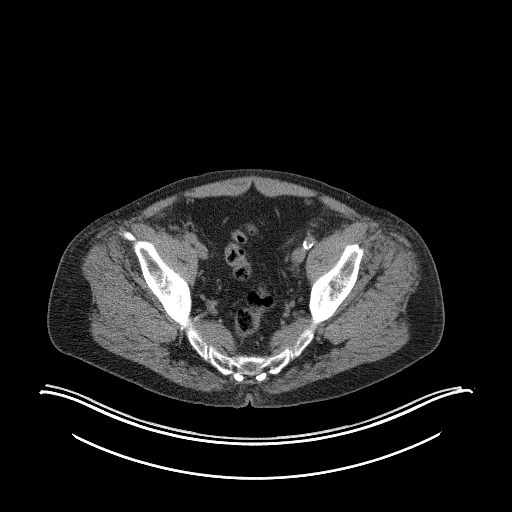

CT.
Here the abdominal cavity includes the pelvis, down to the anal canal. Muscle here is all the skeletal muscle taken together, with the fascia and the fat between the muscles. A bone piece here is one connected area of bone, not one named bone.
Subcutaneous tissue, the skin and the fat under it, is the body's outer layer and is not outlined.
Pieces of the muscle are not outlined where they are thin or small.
The abdominal cavity is outlined by 251 185; 267 197; 315 197; 351 221; 324 237; 310 250; 305 262; 311 285; 307 305; 309 314; 276 331; 267 355; 236 354; 232 335; 223 325; 192 316; 190 287; 198 270; 196 251; 187 241; 151 224; 164 209; 181 198; 239 196. The bones are outlined by 124 230; 151 242; 187 282; 190 315; 198 317; 194 326; 229 356; 267 356; 291 347; 310 323; 314 281; 346 245; 358 244; 363 255; 353 287; 316 326; 302 352; 261 381; 247 375; 237 381; 191 346; 147 285; 133 242; 120 234. The muscle appears in 3 outlined pieces: piece 1: 250 175; 321 192; 410 237; 420 277; 404 315; 410 334; 405 345; 381 359; 285 392; 268 393; 255 384; 237 384; 227 390; 209 392; 171 381; 105 349; 92 338; 89 331; 91 290; 81 265; 96 234; 105 225; 129 219; 173 194; inner edge: 251 185; 267 197; 315 197; 351 221; 310 250; 311 285; 346 245; 358 244; 363 255; 353 287; 302 352; 261 381; 247 375; 237 381; 191 346; 147 285; 133 242; 120 233; 151 242; 191 287; 196 251; 151 222; 181 198; 239 196; piece 2: 198 319; 208 320; 212 322; 215 322; 223 326; 230 333; 231 335; 231 337; 235 345; 235 354; 233 355; 229 355; 226 353; 224 353; 220 351; 212 344; 209 344; 204 339; 203 336; 200 333; 200 332; 197 329; 194 324; 194 321; piece 3: 308 315; 309 315; 310 317; 308 325; 299 333; 293 342; 293 344; 291 346; 286 346; 284 347; 281 350; 276 353; 271 353; 270 348; 271 347; 271 344; 272 343; 272 338; 276 332; 285 326; 291 324; 294 321; 300 318; 304 318. The torso is outlined by 227 168; 269 168; 313 177; 387 209; 413 226; 432 254; 442 290; 445 323; 437 347; 400 372; 353 393; 278 408; 255 408; 249 403; 239 408; 214 407; 175 400; 55 348; 47 331; 47 305; 59 260; 69 241; 101 215; 163 185.